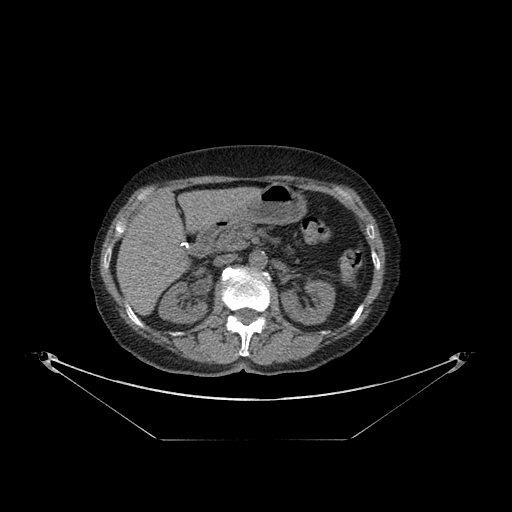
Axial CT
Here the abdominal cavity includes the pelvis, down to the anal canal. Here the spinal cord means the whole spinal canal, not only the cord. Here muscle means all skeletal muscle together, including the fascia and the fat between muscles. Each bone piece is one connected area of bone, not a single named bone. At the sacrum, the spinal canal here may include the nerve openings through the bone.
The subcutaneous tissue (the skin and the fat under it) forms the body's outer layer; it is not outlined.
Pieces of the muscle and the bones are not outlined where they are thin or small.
{"spinal_cord":[[[241,308],[249,308],[250,309],[252,309],[253,310],[256,311],[256,312],[257,313],[257,316],[256,317],[256,318],[253,321],[250,322],[248,324],[245,324],[244,323],[243,323],[238,319],[238,318],[235,314],[235,312],[237,310],[238,310]]],"muscle":[{"outer":[[203,175],[292,175],[344,184],[354,189],[374,217],[385,251],[382,291],[363,323],[347,336],[298,360],[262,365],[244,357],[250,355],[249,345],[253,334],[260,334],[266,327],[264,313],[271,301],[271,280],[275,285],[283,318],[300,330],[319,331],[325,335],[347,322],[351,326],[357,321],[365,306],[363,300],[372,283],[374,269],[378,271],[381,262],[367,239],[367,236],[371,240],[375,238],[374,225],[367,223],[364,231],[353,212],[335,197],[321,191],[274,181],[234,180],[190,185],[164,191],[148,199],[127,225],[128,219],[124,216],[116,221],[114,236],[119,238],[113,249],[111,245],[105,249],[102,266],[107,271],[110,265],[115,285],[126,300],[125,312],[132,322],[142,329],[146,328],[146,324],[157,330],[168,331],[174,337],[183,336],[186,333],[184,331],[197,326],[210,315],[215,286],[220,277],[220,299],[229,310],[224,326],[227,331],[239,335],[240,347],[237,354],[240,357],[224,364],[198,362],[181,357],[136,333],[114,308],[99,272],[101,249],[109,226],[138,188],[165,180]],"holes":[[[337,188],[340,188],[341,189],[342,189],[343,190],[344,190],[345,191],[346,191],[352,197],[352,200],[353,201],[353,202],[352,203],[349,200],[348,200],[343,195],[342,195],[340,193],[339,193],[338,192],[338,190],[337,189]],[[145,189],[146,189],[147,190],[147,193],[145,195],[145,197],[143,199],[142,199],[140,201],[138,201],[136,199],[136,197],[137,196],[137,195],[142,190],[144,190]]]}],"bones":[{"outer":[[228,266],[244,266],[259,272],[265,271],[270,276],[270,301],[263,313],[266,319],[265,327],[260,333],[255,332],[252,334],[248,345],[248,356],[241,356],[238,354],[241,347],[241,337],[238,333],[227,330],[225,326],[230,310],[221,299],[221,273]],"hole":[[241,308],[249,308],[250,309],[252,309],[253,310],[256,311],[256,312],[257,313],[257,316],[256,317],[256,318],[253,321],[250,322],[248,324],[245,324],[244,323],[243,323],[238,319],[238,318],[235,314],[235,312],[237,310],[238,310]]},[[126,301],[129,304],[129,305],[131,307],[131,309],[134,312],[134,313],[145,325],[145,328],[142,328],[141,327],[140,327],[138,325],[137,325],[133,321],[132,321],[132,320],[128,316],[128,315],[126,312],[126,309],[125,308],[125,302]],[[123,217],[124,217],[127,219],[127,221],[126,222],[126,225],[125,226],[125,229],[123,231],[123,232],[121,234],[121,235],[119,237],[118,237],[117,238],[115,236],[115,225],[116,224],[116,223],[117,222],[117,221],[118,221],[121,218],[122,218]],[[109,246],[111,246],[112,247],[112,253],[111,254],[111,259],[110,260],[110,264],[109,265],[109,267],[107,270],[105,270],[105,269],[103,266],[103,257],[105,254],[105,252],[106,251],[106,249]],[[362,302],[364,304],[364,306],[363,307],[363,309],[362,310],[362,311],[361,312],[359,317],[356,320],[356,321],[354,323],[353,323],[351,325],[349,325],[349,324],[348,323],[349,320],[353,315],[354,312],[356,310],[356,309],[358,307],[358,306]],[[371,249],[373,249],[376,252],[376,253],[377,254],[377,255],[378,256],[378,257],[379,258],[379,261],[380,262],[380,268],[378,270],[376,270],[374,268],[374,265],[373,264],[373,262],[372,261],[372,257],[371,256]],[[369,223],[370,223],[373,225],[373,228],[374,229],[374,234],[375,235],[375,236],[373,239],[371,239],[370,238],[369,238],[368,237],[368,236],[366,234],[366,232],[365,231],[365,228],[366,227],[366,225]],[[337,188],[340,188],[341,189],[342,189],[343,190],[344,190],[345,191],[346,191],[352,197],[352,200],[353,201],[353,202],[352,203],[349,200],[348,200],[343,195],[342,195],[340,193],[339,193],[338,192],[338,190],[337,189]],[[145,189],[146,189],[147,190],[147,193],[145,195],[145,197],[143,199],[142,199],[140,201],[138,201],[136,199],[136,197],[137,196],[137,195],[142,190],[144,190]]],"abdominal_cavity":[[[234,181],[274,182],[321,192],[352,212],[365,233],[373,273],[362,301],[345,323],[331,330],[296,327],[282,315],[270,274],[244,265],[228,265],[221,271],[211,312],[189,329],[157,329],[135,313],[111,269],[114,247],[126,227],[148,200],[161,193]]],"torso":[[[232,144],[289,145],[331,156],[354,169],[371,185],[396,225],[403,251],[402,276],[387,314],[357,347],[318,368],[273,375],[242,369],[214,377],[167,372],[139,360],[121,347],[95,307],[89,281],[93,241],[107,207],[122,186],[142,167],[160,158]]]}